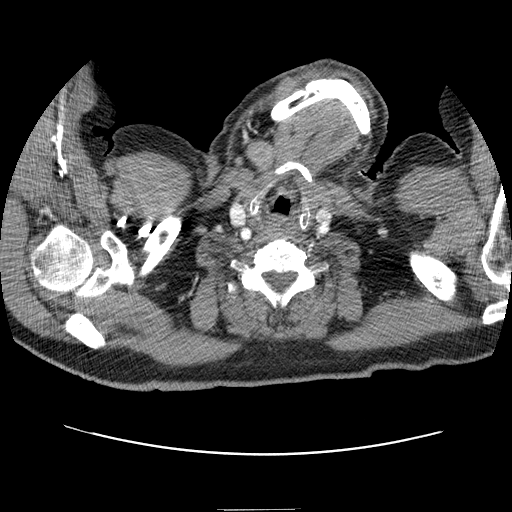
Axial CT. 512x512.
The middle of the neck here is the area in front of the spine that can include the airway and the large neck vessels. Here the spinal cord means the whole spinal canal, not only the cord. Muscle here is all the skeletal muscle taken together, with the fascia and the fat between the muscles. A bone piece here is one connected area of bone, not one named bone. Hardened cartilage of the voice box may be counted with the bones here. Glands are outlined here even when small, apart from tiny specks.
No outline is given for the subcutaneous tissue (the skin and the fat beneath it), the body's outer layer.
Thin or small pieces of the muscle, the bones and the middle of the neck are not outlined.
torso: [[95,59],[115,118],[92,130],[109,147],[150,123],[205,151],[188,306],[274,369],[327,355],[360,317],[367,185],[412,133],[455,147],[446,86],[478,129],[438,243],[469,296],[507,300],[491,355],[142,392],[26,350],[95,253],[83,184],[27,138]]
spinal cord: [[270,271],[275,271],[277,273],[284,273],[285,272],[291,271],[292,272],[296,273],[296,275],[293,281],[292,281],[290,284],[283,290],[283,291],[276,291],[272,288],[272,286],[267,281],[266,281],[266,280],[263,277],[263,273],[265,272],[269,272]]
head and neck: [[325,57],[337,58],[361,70],[381,94],[388,111],[387,134],[366,172],[369,177],[365,203],[368,229],[360,286],[364,303],[357,320],[327,354],[305,365],[274,368],[252,362],[218,344],[195,319],[185,283],[186,223],[206,151],[228,114],[256,85]]
muscle: [[81,66],[97,97],[79,130],[92,163],[155,150],[187,160],[201,190],[220,176],[240,114],[314,68],[365,82],[373,128],[341,77],[310,79],[269,116],[338,100],[361,135],[372,133],[346,176],[362,203],[391,192],[413,164],[467,163],[472,117],[500,180],[479,254],[506,291],[480,315],[497,323],[361,352],[253,341],[187,367],[102,348],[78,310],[64,330],[91,348],[40,337],[3,301],[2,214],[31,128]]; inner edges: [[290,178],[330,211],[332,223],[319,240],[288,239],[304,250],[307,264],[325,261],[329,267],[312,288],[296,293],[283,308],[274,308],[259,291],[243,289],[229,264],[234,258],[249,262],[258,248],[282,236],[243,242],[228,222],[228,210],[269,183]], then [[58,223],[86,240],[95,260],[94,265],[104,269],[111,265],[111,257],[101,247],[100,237],[105,230],[112,230],[126,245],[135,272],[132,286],[113,285],[102,295],[86,302],[84,298],[76,297],[71,292],[60,293],[40,285],[33,274],[30,253]], then [[410,249],[416,249],[420,251],[425,251],[428,254],[442,261],[450,268],[451,268],[454,272],[455,272],[457,275],[456,293],[452,301],[445,302],[442,300],[438,299],[434,296],[418,279],[412,271],[407,259],[407,254],[408,253],[408,251]], then [[169,215],[180,216],[182,217],[182,226],[179,230],[179,233],[171,244],[168,252],[163,256],[163,258],[157,264],[152,271],[146,276],[144,277],[140,277],[138,276],[137,274],[147,255],[147,253],[142,250],[142,247],[146,240],[156,227]], then [[252,141],[263,141],[264,142],[268,142],[271,145],[271,146],[272,147],[272,151],[273,152],[273,165],[269,169],[258,169],[251,162],[251,161],[246,156],[246,154],[245,153],[245,150],[246,149],[246,146],[247,145],[247,144],[249,142],[251,142]], then [[287,161],[297,161],[303,164],[306,167],[307,167],[311,173],[311,178],[312,180],[311,181],[307,181],[296,169],[292,169],[282,174],[279,174],[278,175],[277,174],[275,174],[273,172],[274,170],[278,166],[283,164]], then [[228,281],[232,281],[233,282],[234,282],[236,284],[237,284],[238,285],[238,291],[237,292],[237,294],[236,295],[236,296],[234,298],[233,297],[230,297],[228,295],[229,294],[228,293],[228,292],[227,291],[227,286],[226,285],[226,283]]
submandibular glands: [[252,141],[263,141],[264,142],[268,142],[271,145],[271,146],[272,147],[272,151],[273,152],[273,165],[269,169],[258,169],[251,162],[251,161],[246,156],[246,154],[245,153],[245,150],[246,149],[246,146],[247,145],[247,144],[249,142],[251,142]]
right arm: [[27,139],[36,140],[51,148],[70,168],[74,176],[82,184],[92,214],[94,253],[92,274],[80,292],[53,325],[38,339],[19,345],[13,338],[3,301],[0,279],[0,237],[2,214],[5,207],[7,191],[10,186],[10,179],[13,174],[16,160]]
left arm: [[478,130],[497,167],[498,176],[500,184],[503,187],[505,203],[510,219],[511,284],[507,299],[503,300],[481,300],[469,295],[456,282],[454,277],[449,272],[445,264],[441,251],[441,246],[439,243],[437,220],[441,200],[448,185],[462,169],[471,144]]
middle of the neck: [[290,178],[300,186],[300,229],[304,231],[310,223],[309,198],[305,191],[314,201],[330,211],[332,223],[329,233],[319,240],[270,235],[243,242],[228,222],[230,205],[260,190],[248,203],[248,214],[251,217],[256,216],[260,212],[263,199],[273,185]]
bones 1: [[58,223],[86,240],[95,260],[94,265],[104,269],[111,265],[111,257],[101,247],[100,237],[105,230],[112,230],[126,245],[135,272],[132,286],[113,285],[102,295],[86,302],[84,298],[76,297],[71,292],[60,293],[40,285],[33,274],[30,253]]
bones 2: [[282,236],[288,236],[290,241],[304,250],[308,256],[307,264],[325,261],[329,267],[316,277],[316,284],[312,288],[296,293],[283,308],[278,305],[274,308],[259,291],[243,289],[238,273],[230,268],[229,264],[234,258],[242,262],[249,262],[258,248]] with a hole at [[270,271],[275,271],[277,273],[284,273],[285,272],[291,271],[292,272],[296,273],[296,275],[293,281],[292,281],[290,284],[283,290],[283,291],[276,291],[272,288],[272,286],[267,281],[266,281],[266,280],[263,277],[263,273],[265,272],[269,272]]
bones 3: [[501,185],[503,187],[505,203],[510,219],[511,284],[503,319],[501,321],[485,325],[481,322],[481,315],[485,307],[488,304],[496,302],[501,298],[507,296],[507,291],[501,285],[492,283],[486,276],[480,260],[482,247],[489,234],[489,220]]
bones 4: [[319,78],[341,78],[348,81],[357,90],[366,102],[369,111],[371,130],[368,134],[360,133],[348,109],[336,98],[333,99],[324,98],[316,101],[281,121],[275,121],[271,118],[270,111],[277,101],[285,98],[295,90],[303,88],[306,83],[310,80]]
bones 5: [[410,249],[416,249],[420,251],[425,251],[428,254],[442,261],[450,268],[451,268],[454,272],[455,272],[457,275],[456,293],[452,301],[445,302],[442,300],[438,299],[434,296],[418,279],[412,271],[407,259],[407,254],[408,253],[408,251]]
bones 6: [[169,215],[180,216],[182,217],[182,226],[179,230],[179,233],[171,244],[168,252],[163,256],[163,258],[157,264],[152,271],[146,276],[144,277],[140,277],[138,276],[137,274],[147,255],[147,253],[142,250],[142,247],[146,240],[156,227]]
bones 7: [[78,311],[79,312],[82,312],[88,316],[96,328],[102,333],[103,336],[106,340],[106,344],[105,346],[101,348],[92,348],[91,347],[89,347],[68,333],[65,330],[65,328],[64,327],[64,323],[65,321],[72,313],[74,313]]
bones 8: [[287,161],[297,161],[303,164],[306,167],[307,167],[311,173],[311,178],[312,180],[311,181],[307,181],[296,169],[292,169],[282,174],[279,174],[278,175],[277,174],[275,174],[273,172],[274,170],[278,166],[283,164]]
bones 9: [[271,182],[274,182],[274,184],[273,184],[270,188],[269,192],[268,192],[262,199],[262,201],[259,208],[259,212],[258,212],[256,215],[251,216],[249,214],[249,203],[250,202],[250,200],[253,198],[253,196],[254,195],[263,189],[269,183]]
bones 10: [[300,190],[303,190],[303,192],[308,198],[308,212],[309,213],[308,222],[309,223],[304,230],[302,230],[301,229],[300,227],[300,225],[299,224],[299,217],[300,216],[300,214],[301,213],[301,210],[302,209],[302,204],[301,203],[301,199],[300,198]]